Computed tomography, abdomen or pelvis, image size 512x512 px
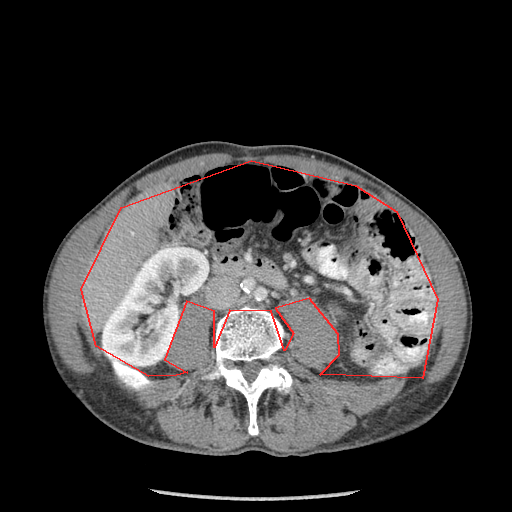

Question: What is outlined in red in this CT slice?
Answer: red: abdominal cavity.
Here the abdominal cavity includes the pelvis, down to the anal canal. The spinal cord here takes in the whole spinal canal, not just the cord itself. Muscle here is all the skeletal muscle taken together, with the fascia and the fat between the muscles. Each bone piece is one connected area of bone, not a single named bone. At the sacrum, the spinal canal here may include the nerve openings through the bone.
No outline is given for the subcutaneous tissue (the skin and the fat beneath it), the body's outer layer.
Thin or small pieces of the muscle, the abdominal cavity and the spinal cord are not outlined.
The abdominal cavity is outlined by 251 160; 355 185; 396 211; 437 299; 422 378; 320 374; 339 354; 338 334; 309 298; 275 308; 293 333; 284 350; 271 311; 229 310; 214 347; 214 311; 186 301; 164 359; 187 372; 176 375; 148 376; 96 346; 81 289; 121 207. The muscle is outlined by 210 153; 226 153; 234 156; 246 156; 247 155; 264 156; 265 155; 273 155; 274 154; 289 154; 290 155; 301 155; 307 157; 313 157; 318 160; 322 160; 326 162; 339 165; 361 175; 363 177; 379 185; 388 192; 393 194; 424 217; 434 227; 441 236; 455 260; 464 288; 466 307; 467 308; 467 318; 466 319; 466 326; 464 332; 463 344; 457 360; 450 372; 444 379; 432 383; 423 383; 421 385; 405 392; 367 417; 344 434; 339 439; 327 443; 321 443; 310 449; 306 449; 302 451; 296 451; 295 452; 282 452; 273 450; 261 443; 248 441; 245 444; 239 447; 230 450; 215 452; 214 451; 210 451; 205 448; 197 447; 191 444; 176 442; 166 437; 155 417; 147 409; 131 398; 113 382; 96 375; 78 372; 66 366; 62 361; 61 357; 57 351; 50 330; 50 324; 48 318; 48 289; 50 284; 52 271; 54 268; 56 260; 67 240; 74 231; 84 221; 94 214; 115 195; 134 181; 152 171; 157 170; 166 165; 175 163; 182 159; inner edge: 251 160; 396 211; 437 299; 422 378; 320 374; 338 334; 309 298; 275 308; 294 338; 275 360; 293 382; 262 393; 257 435; 244 396; 200 378; 216 356; 201 298; 164 359; 187 372; 136 390; 113 372; 80 310; 100 236; 137 193. The torso is outlined by 208 140; 296 144; 333 153; 391 185; 439 225; 467 277; 472 332; 452 394; 426 423; 373 445; 307 456; 278 457; 256 450; 200 455; 149 446; 114 431; 66 387; 52 363; 42 321; 43 284; 58 244; 79 218; 133 172; 173 149. The bones appear in 2 outlined pieces: piece 1: 243 306; 267 310; 281 323; 282 347; 275 356; 269 355; 267 361; 276 361; 293 379; 288 393; 275 388; 262 393; 256 406; 259 432; 254 436; 247 431; 249 412; 244 396; 227 386; 222 377; 200 378; 215 366; 217 322; 229 311, around holes outlined by 254 360; 259 360; 261 362; 261 363; 262 364; 263 364; 262 365; 260 370; 258 372; 256 377; 252 381; 249 382; 245 378; 245 377; 243 374; 243 372; 241 369; 241 366; 242 365; 242 363; 243 362; 250 362; 251 361; 253 361 and by 226 360; 229 360; 230 361; 232 361; 233 362; 233 363; 234 364; 234 366; 233 367; 226 367; 225 366; 225 361; piece 2: 112 360; 114 360; 118 362; 122 362; 124 364; 128 365; 140 371; 150 380; 150 384; 149 386; 135 390; 131 387; 125 385; 125 384; 123 382; 122 382; 113 372; 113 370; 111 366; 111 361. The spinal cord is outlined by 254 360; 259 360; 261 362; 261 363; 262 364; 263 364; 262 365; 260 370; 258 372; 256 377; 252 381; 249 382; 245 378; 245 377; 243 374; 243 372; 241 369; 241 366; 242 365; 242 363; 243 362; 250 362; 251 361; 253 361.